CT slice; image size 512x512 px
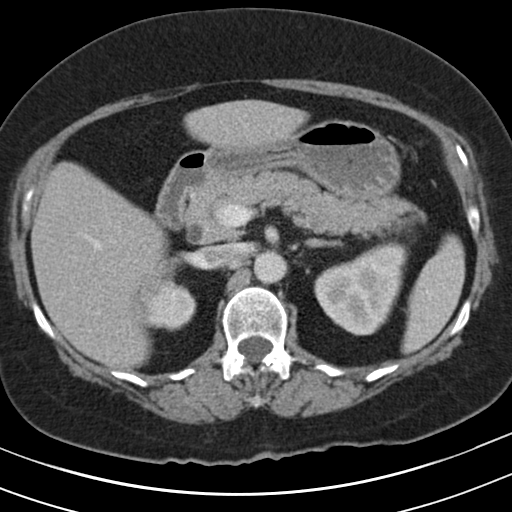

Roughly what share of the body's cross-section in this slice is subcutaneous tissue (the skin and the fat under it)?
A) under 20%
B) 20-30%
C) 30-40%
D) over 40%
C) 30-40%
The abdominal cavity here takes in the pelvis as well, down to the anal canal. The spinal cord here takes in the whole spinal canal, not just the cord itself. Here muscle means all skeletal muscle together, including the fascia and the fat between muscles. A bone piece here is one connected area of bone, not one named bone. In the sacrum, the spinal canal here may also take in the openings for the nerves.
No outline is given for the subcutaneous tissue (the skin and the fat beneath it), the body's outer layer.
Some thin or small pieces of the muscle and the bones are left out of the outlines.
{"torso":[[[225,7],[314,11],[393,31],[456,67],[496,110],[511,136],[511,384],[480,413],[447,430],[405,444],[336,446],[326,451],[238,465],[173,461],[156,464],[97,453],[50,438],[31,426],[8,399],[0,382],[0,124],[38,78],[93,39],[151,16]]],"muscle":[{"outer":[[263,78],[309,78],[324,81],[340,82],[377,90],[394,96],[403,103],[428,113],[446,125],[451,126],[458,133],[463,135],[468,140],[473,150],[474,157],[477,162],[478,170],[482,176],[483,191],[487,199],[487,212],[489,216],[490,225],[493,231],[494,242],[499,257],[499,262],[473,328],[453,357],[430,366],[423,371],[406,377],[392,384],[382,392],[369,399],[351,407],[338,411],[309,417],[299,416],[281,417],[270,412],[267,409],[251,408],[243,411],[237,417],[228,421],[220,420],[213,424],[205,425],[179,423],[165,419],[139,406],[133,405],[92,383],[74,377],[40,336],[24,307],[18,299],[15,291],[16,288],[14,282],[14,276],[12,272],[12,265],[8,257],[8,250],[6,247],[8,243],[9,235],[9,224],[7,217],[9,214],[10,207],[9,204],[10,195],[12,193],[12,189],[14,188],[16,174],[29,156],[39,146],[46,142],[60,130],[75,120],[90,113],[99,106],[113,102],[124,97],[145,92],[152,92],[159,89],[174,88],[195,82],[209,83],[233,79],[262,79]],"holes":[[[237,83],[351,98],[404,114],[429,130],[463,207],[479,210],[466,298],[470,315],[461,330],[448,334],[454,320],[414,355],[329,376],[314,369],[324,361],[298,343],[291,324],[284,348],[306,363],[294,361],[287,379],[267,371],[227,381],[218,361],[227,348],[220,305],[211,343],[187,365],[195,372],[180,380],[168,372],[141,374],[148,382],[142,387],[39,327],[31,306],[37,300],[28,233],[70,137],[134,106]],[[397,362],[399,363],[399,366],[394,371],[388,374],[386,374],[380,377],[378,379],[376,379],[370,382],[368,382],[364,379],[365,376],[368,373],[369,373],[374,369],[376,369],[379,367],[385,366],[388,364],[391,364],[392,363],[396,363]],[[32,184],[34,185],[34,193],[31,198],[31,201],[30,202],[29,209],[27,213],[28,215],[28,219],[29,220],[29,222],[28,224],[26,225],[24,225],[22,221],[22,218],[21,217],[21,204],[22,203],[22,200],[23,199],[24,194]],[[455,142],[457,142],[461,146],[462,149],[466,154],[466,156],[467,157],[467,159],[468,160],[468,169],[467,170],[466,170],[466,169],[464,167],[463,164],[461,162],[461,161],[460,160],[460,158],[455,152],[455,149],[454,148],[454,143]],[[256,394],[258,394],[258,395],[264,401],[264,402],[260,406],[259,406],[258,407],[257,407],[256,408],[255,407],[254,407],[250,403],[250,402],[248,400],[250,398],[252,398]]]}],"spinal_cord":[[[253,336],[258,336],[259,337],[261,337],[269,341],[272,345],[272,347],[270,351],[266,353],[261,358],[260,360],[260,363],[257,365],[253,365],[252,364],[248,363],[246,361],[246,356],[244,354],[241,353],[238,349],[239,343],[241,341]]],"bones":[{"outer":[[251,286],[271,291],[283,304],[288,315],[284,348],[292,356],[307,361],[306,363],[294,361],[287,379],[281,379],[273,371],[263,372],[254,377],[242,373],[229,381],[223,378],[222,367],[218,361],[227,348],[221,323],[222,312],[228,300],[236,292]],"hole":[[253,336],[258,336],[259,337],[261,337],[269,341],[272,345],[272,347],[270,351],[266,353],[261,358],[260,360],[260,363],[257,365],[253,365],[252,364],[248,363],[246,361],[246,356],[244,354],[241,353],[238,349],[239,343],[241,341]]},[[467,299],[468,299],[471,302],[471,304],[470,305],[470,315],[469,316],[469,318],[466,324],[461,330],[458,331],[453,335],[449,335],[448,333],[450,329],[453,326],[455,322],[455,320],[458,315],[458,313],[463,303],[465,301],[465,300]],[[34,302],[38,304],[43,314],[45,316],[48,322],[50,324],[54,333],[57,337],[56,339],[53,339],[51,338],[47,334],[46,334],[39,327],[39,326],[37,324],[35,320],[35,318],[34,317],[34,314],[33,313],[33,310],[31,306],[31,305]],[[471,204],[472,205],[475,205],[477,206],[479,210],[479,216],[480,217],[480,229],[479,230],[479,232],[475,237],[473,236],[472,234],[472,232],[471,231],[470,226],[468,223],[468,221],[466,217],[466,213],[465,212],[465,208],[466,208],[469,205]],[[397,362],[399,363],[399,366],[394,371],[388,374],[386,374],[380,377],[378,379],[376,379],[370,382],[368,382],[364,379],[365,376],[368,373],[369,373],[374,369],[376,369],[379,367],[385,366],[388,364],[391,364],[392,363],[396,363]],[[32,184],[34,185],[34,193],[31,198],[31,201],[30,202],[29,209],[27,213],[28,215],[28,219],[29,220],[29,222],[28,224],[26,225],[24,225],[22,221],[22,218],[21,217],[21,204],[22,203],[22,200],[23,199],[24,194]],[[111,371],[119,371],[120,372],[125,372],[126,373],[135,374],[142,379],[147,381],[148,382],[148,385],[145,387],[142,387],[139,385],[137,385],[129,381],[127,381],[123,379],[120,379],[117,377],[115,377],[112,374],[111,374],[110,372]],[[323,362],[325,362],[328,364],[330,364],[333,366],[335,366],[339,368],[345,369],[346,371],[345,373],[342,375],[339,375],[338,376],[329,376],[324,372],[320,370],[314,369],[314,365],[315,364],[317,363],[322,363]]],"abdominal_cavity":[[[237,83],[359,100],[404,114],[437,139],[462,200],[475,263],[455,319],[425,349],[360,369],[333,365],[298,343],[284,304],[259,285],[236,291],[218,307],[211,343],[177,371],[110,371],[55,333],[34,294],[27,243],[36,204],[66,142],[128,108]]]}